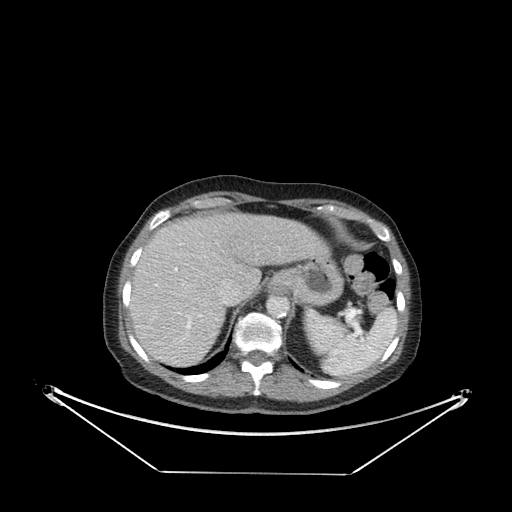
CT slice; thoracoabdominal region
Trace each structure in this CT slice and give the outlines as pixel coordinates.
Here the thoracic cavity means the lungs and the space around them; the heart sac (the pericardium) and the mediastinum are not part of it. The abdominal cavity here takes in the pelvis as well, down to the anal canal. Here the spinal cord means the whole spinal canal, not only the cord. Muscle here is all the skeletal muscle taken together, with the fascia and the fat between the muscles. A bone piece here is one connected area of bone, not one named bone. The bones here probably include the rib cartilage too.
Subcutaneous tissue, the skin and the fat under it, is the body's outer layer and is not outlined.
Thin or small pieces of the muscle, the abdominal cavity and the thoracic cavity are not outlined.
The thoracic cavity appears in 2 outlined pieces: piece 1: (230, 338) (229, 348) (223, 359) (217, 365) (207, 371) (200, 373) (193, 373) (192, 374) (181, 374) (167, 368) (167, 367) (173, 369) (189, 368) (193, 366) (197, 366) (200, 364) (203, 364) (205, 362) (207, 362) (208, 360) (216, 354) (221, 352) (224, 349) (228, 340); piece 2: (290, 360) (291, 360) (292, 361) (293, 361) (299, 367) (299, 368) (301, 370) (299, 370) (297, 368) (296, 368) (291, 363) (291, 362) (290, 361). The spinal cord is outlined by (253, 350) (261, 350) (262, 351) (263, 351) (264, 352) (265, 352) (266, 353) (266, 354) (267, 355) (267, 356) (268, 357) (268, 358) (265, 361) (263, 361) (259, 365) (254, 365) (252, 363) (251, 363) (246, 359) (246, 356) (247, 355) (247, 354) (249, 352) (250, 352). The bones appear in 12 outlined pieces: piece 1: (250, 312) (263, 313) (275, 320) (281, 326) (282, 344) (272, 359) (272, 372) (266, 373) (260, 380) (260, 394) (257, 396) (253, 395) (252, 393) (254, 389) (254, 382) (251, 374) (249, 372) (244, 372) (241, 370) (240, 351) (235, 343) (232, 341) (234, 326) (238, 318) with a hole at (253, 350) (261, 350) (262, 351) (263, 351) (264, 352) (265, 352) (266, 353) (266, 354) (267, 355) (267, 356) (268, 357) (268, 358) (265, 361) (263, 361) (259, 365) (254, 365) (252, 363) (251, 363) (246, 359) (246, 356) (247, 355) (247, 354) (249, 352) (250, 352); piece 2: (327, 204) (331, 204) (338, 207) (341, 207) (358, 213) (363, 216) (369, 217) (377, 223) (385, 226) (389, 232) (390, 237) (389, 241) (381, 240) (377, 237) (373, 231) (365, 223) (354, 219) (346, 219) (332, 213) (325, 213) (320, 210) (317, 210) (316, 209) (317, 206); piece 3: (217, 197) (221, 197) (222, 198) (227, 198) (230, 200) (230, 202) (229, 202) (228, 203) (226, 203) (223, 205) (217, 205) (216, 206) (213, 206) (212, 207) (202, 207) (201, 208) (195, 208) (191, 204) (191, 203) (195, 200) (204, 200) (207, 198) (216, 198); piece 4: (309, 378) (314, 378) (315, 379) (321, 379) (322, 380) (323, 379) (324, 380) (335, 380) (336, 381) (340, 381) (341, 382) (341, 384) (337, 387) (333, 387) (332, 388) (320, 388) (319, 387) (316, 387) (312, 384) (311, 384) (308, 381) (308, 379); piece 5: (165, 209) (168, 209) (170, 211) (170, 214) (171, 215) (167, 219) (166, 219) (164, 221) (163, 221) (159, 225) (158, 225) (153, 229) (150, 230) (149, 229) (149, 225) (150, 224) (150, 222) (151, 221) (152, 218) (154, 216) (154, 215) (159, 210) (164, 210); piece 6: (130, 333) (134, 336) (137, 342) (141, 346) (141, 347) (143, 349) (145, 353) (147, 354) (148, 357) (150, 359) (149, 360) (149, 362) (147, 362) (145, 361) (137, 353) (137, 352) (132, 346) (129, 340) (129, 337) (128, 336) (128, 335); piece 7: (205, 372) (208, 372) (209, 373) (209, 376) (207, 378) (206, 378) (204, 380) (202, 380) (201, 381) (197, 381) (196, 382) (191, 382) (190, 381) (185, 381) (181, 377) (181, 375) (192, 375) (193, 374) (200, 374) (201, 373) (204, 373); piece 8: (396, 335) (397, 335) (399, 337) (399, 339) (398, 340) (398, 342) (397, 343) (394, 350) (391, 353) (391, 354) (383, 362) (379, 362) (379, 360) (380, 359) (380, 358) (381, 358) (382, 357) (384, 352) (386, 350) (386, 349) (388, 347) (388, 346) (390, 344) (390, 343); piece 9: (128, 280) (129, 280) (131, 283) (130, 284) (131, 285) (131, 287) (130, 288) (130, 293) (129, 294) (129, 303) (128, 304) (128, 306) (127, 307) (125, 307) (124, 306) (123, 300) (122, 299) (122, 291) (123, 290) (124, 284) (126, 282) (126, 281); piece 10: (397, 290) (399, 290) (400, 291) (401, 291) (402, 292) (402, 293) (403, 294) (403, 296) (404, 297) (404, 300) (405, 301) (405, 306) (404, 307) (404, 309) (401, 312) (399, 312) (398, 311) (398, 310) (397, 309) (397, 305) (396, 304) (396, 291); piece 11: (139, 247) (141, 247) (141, 252) (139, 255) (139, 257) (138, 258) (138, 259) (137, 260) (137, 261) (136, 262) (136, 263) (135, 264) (135, 265) (134, 266) (131, 266) (130, 265) (130, 259) (131, 258) (131, 256) (132, 255) (132, 254) (134, 252) (134, 251); piece 12: (393, 258) (395, 258) (400, 263) (400, 264) (401, 265) (401, 268) (402, 269) (402, 271) (401, 272) (401, 273) (400, 274) (396, 274) (396, 273) (395, 272) (395, 271) (394, 270) (394, 267) (393, 266) (393, 264) (392, 263) (392, 259). The torso is outlined by (217, 174) (236, 174) (276, 182) (337, 185) (367, 197) (390, 215) (416, 263) (422, 297) (417, 353) (399, 379) (357, 401) (333, 409) (311, 414) (275, 415) (232, 414) (189, 407) (137, 388) (123, 377) (106, 347) (102, 327) (102, 293) (111, 256) (153, 199) (184, 182). The abdominal cavity is outlined by (264, 201) (345, 219) (357, 238) (379, 239) (387, 248) (396, 275) (397, 331) (365, 371) (342, 379) (302, 371) (284, 347) (282, 328) (292, 300) (278, 285) (264, 285) (237, 318) (231, 342) (197, 365) (166, 367) (150, 358) (132, 333) (130, 280) (152, 230) (178, 213). The mediastinum appears in 2 outlined pieces: piece 1: (264, 286) (275, 286) (276, 287) (278, 286) (285, 289) (287, 292) (287, 295) (289, 296) (289, 298) (291, 300) (291, 311) (289, 312) (289, 315) (287, 316) (285, 325) (283, 327) (275, 319) (260, 311) (250, 311) (241, 316) (244, 308) (246, 307) (248, 303) (250, 302); piece 2: (347, 220) (354, 220) (355, 221) (360, 222) (363, 224) (365, 224) (365, 225) (367, 226) (372, 231) (372, 232) (376, 236) (376, 237) (378, 238) (378, 239) (361, 239) (357, 237) (356, 235) (352, 232) (349, 226) (349, 224). The muscle appears in 3 outlined pieces: piece 1: (374, 219) (389, 227) (409, 271) (410, 316) (399, 358) (372, 377) (327, 398) (295, 402) (258, 396) (261, 394) (261, 380) (266, 374) (273, 372) (273, 359) (283, 342) (290, 363) (311, 376) (307, 381) (320, 389) (339, 387) (342, 382) (336, 380) (365, 372) (378, 362) (383, 363) (395, 350) (400, 339) (397, 334) (399, 313) (406, 306) (403, 292) (397, 289) (397, 275) (400, 275) (403, 269) (401, 263) (391, 257) (384, 243) (391, 239) (388, 228); piece 2: (154, 213) (148, 225) (151, 232) (143, 245) (136, 248) (130, 256) (129, 265) (133, 267) (131, 277) (125, 281) (121, 291) (122, 303) (127, 308) (131, 329) (131, 333) (127, 335) (131, 346) (145, 362) (149, 363) (151, 359) (180, 374) (185, 382) (196, 383) (210, 376) (208, 371) (224, 359) (232, 342) (239, 351) (240, 370) (251, 376) (253, 382) (251, 393) (254, 396) (214, 398) (184, 391) (144, 369) (120, 346) (117, 287) (122, 263) (127, 250); piece 3: (217, 190) (237, 191) (253, 196) (266, 198) (270, 200) (294, 199) (295, 198) (327, 198) (328, 199) (335, 199) (350, 204) (354, 207) (365, 212) (371, 217) (363, 215) (358, 212) (331, 203) (320, 204) (315, 207) (315, 209) (317, 211) (320, 211) (324, 213) (318, 213) (309, 210) (305, 210) (291, 205) (287, 205) (284, 202) (273, 202) (268, 200) (264, 200) (261, 202) (260, 201) (252, 201) (251, 202) (239, 203) (234, 205) (224, 205) (230, 203) (231, 200) (227, 197) (222, 197) (221, 196) (207, 197) (204, 199) (195, 199) (190, 203) (194, 208) (193, 209) (190, 209) (187, 211) (178, 212) (172, 215) (171, 211) (168, 208) (162, 209) (176, 205) (181, 201) (192, 196) (201, 193) (205, 193) (209, 191) (216, 191).